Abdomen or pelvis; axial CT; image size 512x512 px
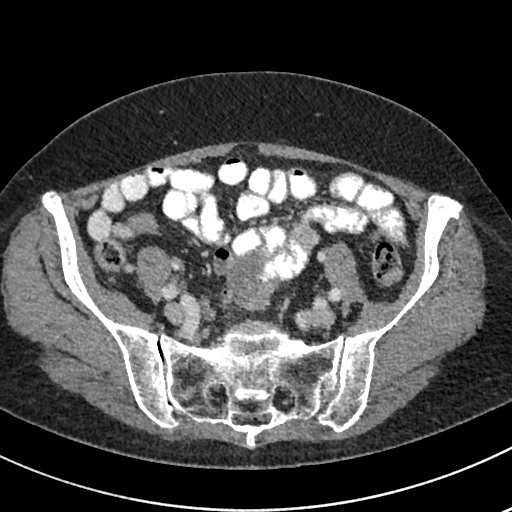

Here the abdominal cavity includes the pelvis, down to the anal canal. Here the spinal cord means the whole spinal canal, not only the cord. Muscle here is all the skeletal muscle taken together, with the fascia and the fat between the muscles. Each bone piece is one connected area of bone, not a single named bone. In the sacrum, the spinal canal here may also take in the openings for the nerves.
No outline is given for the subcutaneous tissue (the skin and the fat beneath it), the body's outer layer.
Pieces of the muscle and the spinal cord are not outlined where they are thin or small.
{"torso":[[[255,70],[289,71],[318,76],[387,97],[421,114],[439,127],[474,164],[511,217],[511,402],[449,429],[394,448],[328,463],[275,469],[218,469],[147,461],[68,439],[1,410],[0,190],[30,157],[62,129],[106,102],[132,91],[180,77],[213,72]]],"spinal_cord":[[[280,387],[283,388],[284,390],[287,391],[288,394],[290,395],[293,399],[293,402],[292,403],[292,405],[291,407],[289,409],[285,411],[279,409],[277,407],[276,407],[275,405],[275,399],[276,398],[276,391],[277,389]],[[214,384],[217,384],[218,385],[219,385],[222,388],[222,389],[224,392],[224,401],[223,402],[223,403],[220,405],[212,405],[211,404],[210,404],[210,403],[209,402],[209,393],[210,392],[210,390],[211,389],[211,387],[212,386],[212,385],[213,385]]],"bones":[{"outer":[[49,190],[99,309],[188,345],[247,319],[310,345],[384,326],[418,288],[428,197],[463,207],[439,238],[437,278],[376,343],[359,419],[341,432],[315,416],[290,419],[249,449],[222,422],[182,414],[162,428],[138,407],[118,343],[64,280],[41,202]],"holes":[[[280,387],[283,388],[284,390],[287,391],[288,394],[290,395],[293,399],[293,402],[292,403],[292,405],[291,407],[289,409],[285,411],[279,409],[277,407],[276,407],[275,405],[275,399],[276,398],[276,391],[277,389]],[[214,384],[217,384],[218,385],[219,385],[222,388],[222,389],[224,392],[224,401],[223,402],[223,403],[220,405],[212,405],[211,404],[210,404],[210,403],[209,402],[209,393],[210,392],[210,390],[211,389],[211,387],[212,386],[212,385],[213,385]],[[264,416],[268,416],[268,417],[269,418],[268,419],[268,420],[266,422],[258,422],[257,423],[256,422],[235,422],[234,421],[234,418],[235,417],[240,417],[241,418],[242,418],[243,417],[248,417],[251,419],[256,418],[258,420],[262,420],[265,417]]]}],"abdominal_cavity":[{"outer":[[240,145],[347,166],[399,196],[418,228],[398,297],[367,299],[352,249],[340,242],[323,256],[323,277],[345,304],[360,304],[361,315],[320,343],[247,318],[207,344],[188,344],[167,334],[155,311],[104,289],[79,235],[80,211],[125,175]],"hole":[[149,245],[156,245],[162,248],[171,261],[169,278],[160,286],[159,288],[159,298],[160,300],[156,302],[145,293],[142,288],[142,283],[139,278],[137,277],[137,273],[136,272],[136,266],[137,265],[138,255],[140,252],[140,250],[141,250],[142,248]]}],"muscle":[[[44,191],[40,202],[53,221],[63,280],[117,343],[137,407],[162,429],[177,427],[182,415],[196,423],[222,423],[245,434],[244,447],[216,439],[169,441],[140,431],[80,395],[62,389],[38,365],[42,348],[7,323],[0,281],[2,253],[10,232]],[[464,207],[483,248],[487,279],[486,309],[476,333],[445,354],[440,372],[405,407],[365,433],[335,441],[281,440],[255,449],[258,434],[290,420],[315,417],[318,424],[341,433],[360,419],[368,406],[377,343],[438,278],[440,238],[450,220],[461,218]],[[239,140],[273,143],[283,140],[288,145],[350,160],[442,193],[433,192],[426,199],[423,270],[417,288],[389,321],[380,327],[367,327],[353,335],[344,335],[344,330],[359,321],[362,306],[358,302],[347,304],[340,298],[340,290],[324,277],[323,264],[331,246],[347,245],[355,258],[366,299],[394,302],[413,273],[419,228],[402,198],[381,181],[350,166],[266,156],[260,154],[255,145],[245,144],[225,155],[208,156],[184,165],[149,165],[125,174],[112,180],[92,207],[79,211],[75,218],[78,235],[98,283],[109,293],[125,295],[138,312],[155,312],[162,324],[163,331],[157,333],[115,321],[100,309],[82,279],[76,240],[62,197],[55,190],[67,191],[189,149]],[[149,245],[156,245],[162,248],[171,261],[169,278],[160,286],[159,288],[159,298],[160,300],[156,302],[145,293],[142,288],[142,283],[139,278],[137,277],[137,273],[136,272],[136,266],[137,265],[138,255],[140,252],[140,250],[141,250],[142,248]]]}